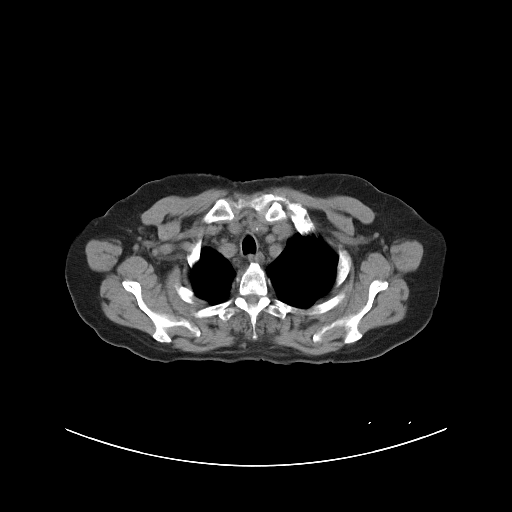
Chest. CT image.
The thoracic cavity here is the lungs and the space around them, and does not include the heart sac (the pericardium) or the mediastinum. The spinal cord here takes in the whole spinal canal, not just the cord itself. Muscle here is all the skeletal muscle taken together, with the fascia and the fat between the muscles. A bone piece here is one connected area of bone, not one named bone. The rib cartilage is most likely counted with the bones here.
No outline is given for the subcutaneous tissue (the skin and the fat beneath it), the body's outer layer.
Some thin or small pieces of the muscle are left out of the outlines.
Outlines:
bones 1: [[252,262],[264,270],[273,295],[291,306],[305,309],[341,292],[344,297],[334,307],[319,314],[288,312],[281,319],[263,310],[256,319],[255,339],[252,338],[249,315],[242,309],[227,320],[217,315],[195,317],[194,311],[226,301],[233,294],[238,272]], around a hole outlined by [[250,294],[254,294],[255,295],[257,295],[258,296],[258,300],[257,301],[257,302],[256,303],[255,303],[254,304],[250,304],[249,303],[248,303],[247,302],[247,301],[246,300],[246,296],[247,295],[249,295]]
bones 2: [[264,193],[284,196],[291,202],[301,204],[315,226],[314,233],[302,235],[296,230],[289,216],[291,212],[284,202],[281,203],[287,217],[272,222],[267,221],[251,207],[239,210],[234,208],[234,217],[231,220],[206,223],[202,219],[218,199],[235,201]]
bones 3: [[125,279],[134,280],[140,284],[142,298],[151,310],[173,315],[178,320],[181,318],[188,320],[199,329],[199,336],[195,336],[184,326],[172,326],[166,329],[171,338],[170,342],[159,342],[154,339],[151,335],[155,326],[138,306],[135,296],[122,285]]
bones 4: [[375,279],[385,280],[388,284],[385,289],[375,295],[370,309],[360,319],[357,327],[362,336],[358,340],[346,344],[344,342],[346,329],[342,326],[336,326],[327,330],[320,341],[314,342],[313,335],[323,326],[355,314],[363,307],[368,298],[369,285]]
bones 5: [[340,248],[345,249],[348,252],[351,258],[351,264],[350,265],[350,267],[349,268],[349,271],[348,272],[348,274],[346,278],[338,286],[335,286],[334,284],[335,283],[335,279],[336,278],[336,273],[337,272],[337,264],[338,263],[338,250]]
bones 6: [[200,235],[201,235],[201,248],[200,249],[200,252],[199,253],[199,259],[192,266],[192,267],[189,267],[189,266],[188,265],[188,262],[187,261],[187,259],[186,258],[186,257],[190,251],[190,246],[192,244],[193,244],[198,239],[198,238]]
bones 7: [[176,284],[178,284],[179,285],[182,285],[188,288],[191,288],[196,297],[196,299],[195,301],[193,303],[189,303],[188,302],[186,302],[184,301],[179,296],[179,295],[177,293],[175,289],[175,285]]
spinal cord: [[250,294],[254,294],[255,295],[257,295],[258,296],[258,300],[257,301],[257,302],[256,303],[255,303],[254,304],[250,304],[249,303],[248,303],[247,302],[247,301],[246,300],[246,296],[247,295],[249,295]]
torso: [[182,172],[211,172],[242,181],[287,174],[341,172],[360,176],[381,191],[397,196],[438,226],[447,239],[443,277],[430,320],[411,339],[382,355],[348,363],[162,362],[104,341],[74,307],[64,275],[68,248],[90,220],[102,215],[116,201],[148,181]]
thoracic cavity 1: [[296,232],[302,236],[307,236],[311,234],[320,236],[331,249],[337,254],[336,272],[335,273],[335,278],[333,285],[325,296],[320,298],[312,305],[305,308],[291,305],[275,296],[272,292],[272,282],[265,271],[267,266],[283,251],[286,246],[288,239]]
thoracic cavity 2: [[208,244],[211,245],[216,250],[219,251],[226,257],[237,271],[232,283],[232,294],[224,301],[208,305],[207,301],[196,296],[191,287],[192,286],[189,277],[190,276],[189,275],[190,274],[190,268],[192,268],[200,259],[200,253],[202,246],[205,246]]
muscle: [[280,186],[288,186],[319,197],[347,195],[371,208],[376,214],[375,218],[362,228],[364,241],[359,245],[359,251],[364,254],[379,251],[399,238],[414,239],[422,244],[423,256],[419,266],[411,273],[408,284],[408,309],[401,320],[372,328],[363,335],[359,330],[359,323],[371,309],[376,295],[388,287],[387,280],[378,278],[369,283],[366,301],[357,312],[323,325],[312,335],[312,341],[316,343],[320,342],[329,330],[336,327],[345,329],[343,342],[346,345],[319,355],[308,355],[292,347],[261,341],[243,347],[218,347],[205,352],[173,348],[163,343],[168,344],[172,341],[167,329],[184,327],[197,338],[201,334],[200,329],[184,317],[178,319],[173,314],[151,309],[143,298],[141,284],[134,279],[125,278],[121,285],[134,296],[137,306],[151,320],[153,332],[149,335],[141,330],[120,325],[103,313],[98,299],[98,277],[90,269],[85,255],[85,246],[90,239],[116,238],[121,241],[127,254],[146,254],[149,250],[150,230],[141,222],[140,214],[157,200],[169,195],[191,196],[210,188],[251,193]]; inner edge: [[264,193],[301,204],[314,234],[337,254],[345,249],[351,264],[346,278],[316,302],[342,292],[334,307],[312,315],[288,312],[283,319],[263,310],[253,339],[244,310],[227,320],[195,317],[193,312],[208,302],[184,301],[175,285],[192,286],[190,246],[200,235],[201,245],[207,245],[219,225],[247,214],[265,224],[294,225],[284,202],[287,217],[281,220],[267,221],[243,207],[233,209],[231,220],[203,221],[218,199]]
mediastinum: [[247,214],[252,215],[259,221],[265,224],[273,224],[285,221],[291,224],[296,231],[287,239],[285,246],[282,251],[264,269],[257,262],[252,261],[238,271],[231,261],[226,256],[209,243],[212,238],[212,236],[219,225],[228,224],[234,222],[242,218]]